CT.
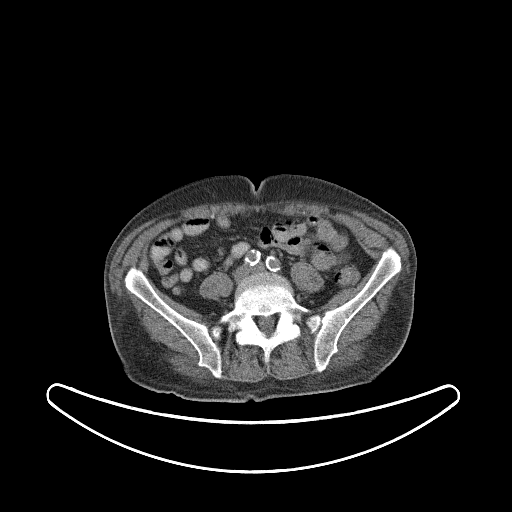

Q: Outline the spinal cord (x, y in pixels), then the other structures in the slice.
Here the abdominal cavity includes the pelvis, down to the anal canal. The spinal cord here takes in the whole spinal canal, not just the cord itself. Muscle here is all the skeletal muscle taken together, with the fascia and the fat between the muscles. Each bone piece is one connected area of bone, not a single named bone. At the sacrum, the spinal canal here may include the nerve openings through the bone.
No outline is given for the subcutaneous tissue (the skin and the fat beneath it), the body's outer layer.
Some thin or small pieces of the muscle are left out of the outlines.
A: Outlined structures:
spinal cord: [[269,316],[274,316],[274,317],[275,318],[275,323],[274,324],[274,328],[273,329],[273,330],[271,332],[271,333],[269,335],[267,335],[263,331],[262,331],[260,329],[260,328],[259,327],[259,326],[258,325],[258,318],[259,317],[268,317]]
abdominal cavity: [[267,209],[286,215],[322,214],[347,226],[359,245],[374,260],[355,287],[339,290],[325,303],[310,309],[297,302],[292,285],[285,276],[260,271],[239,281],[234,292],[233,307],[213,319],[172,299],[148,278],[148,245],[169,226],[192,217]], around a hole outlined by [[299,262],[305,262],[307,264],[309,264],[321,276],[321,277],[323,279],[323,287],[321,289],[315,292],[312,292],[311,293],[306,293],[305,291],[300,290],[297,287],[296,284],[293,281],[292,279],[291,270],[294,264],[296,263],[298,263]]
torso: [[279,173],[310,175],[346,187],[395,216],[408,230],[417,258],[414,312],[409,335],[397,358],[365,384],[262,401],[193,401],[172,393],[158,393],[131,381],[112,343],[103,289],[105,257],[117,234],[147,204],[191,181],[240,174],[257,187],[264,177]]
muscle 1: [[287,200],[317,202],[365,213],[397,230],[404,238],[408,249],[408,272],[394,286],[387,311],[368,336],[370,341],[364,356],[353,365],[324,371],[338,351],[339,338],[348,323],[401,271],[400,254],[388,246],[382,251],[364,285],[351,298],[325,310],[321,316],[310,313],[339,291],[355,288],[375,260],[360,245],[347,225],[325,214],[286,214],[268,208],[250,209],[232,214],[218,212],[192,216],[169,225],[147,245],[146,275],[135,265],[124,274],[126,289],[172,325],[196,351],[197,365],[207,369],[215,378],[200,382],[174,371],[162,355],[165,347],[150,339],[131,301],[125,295],[119,297],[111,289],[110,268],[118,247],[140,225],[184,207],[228,201],[263,204]]
muscle 2: [[302,321],[311,334],[315,333],[312,358],[318,373],[284,380],[268,376],[255,382],[220,379],[223,377],[221,350],[213,338],[219,340],[222,337],[223,326],[228,332],[234,332],[238,345],[260,347],[262,360],[267,365],[277,346],[301,335],[299,322]]
muscle 3: [[299,262],[305,262],[307,264],[309,264],[321,276],[321,277],[323,279],[323,287],[321,289],[315,292],[312,292],[311,293],[306,293],[305,291],[300,290],[297,287],[296,284],[293,281],[292,279],[291,270],[294,264],[296,263],[298,263]]
muscle 4: [[214,272],[223,272],[224,273],[225,273],[230,278],[230,279],[232,282],[232,289],[231,290],[230,293],[226,296],[222,296],[219,300],[215,300],[214,299],[209,299],[208,298],[203,297],[199,293],[199,287],[200,286],[201,283],[203,281],[203,280]]
muscle 5: [[148,279],[149,279],[162,293],[168,296],[172,300],[180,304],[182,304],[202,315],[208,315],[208,316],[213,320],[215,320],[218,318],[218,324],[213,325],[210,328],[210,332],[209,331],[209,328],[204,323],[199,322],[183,315],[170,306],[156,292]]
bones: [[388,247],[400,271],[347,323],[321,372],[316,333],[302,320],[300,335],[277,345],[267,364],[260,346],[238,344],[223,325],[212,338],[221,356],[216,378],[124,282],[135,266],[170,307],[210,333],[247,276],[285,277],[296,302],[321,317],[361,290]] with a hole at [[269,316],[274,316],[274,317],[275,318],[275,323],[274,324],[274,328],[273,329],[273,330],[271,332],[271,333],[269,335],[267,335],[263,331],[262,331],[260,329],[260,328],[259,327],[259,326],[258,325],[258,318],[259,317],[268,317]]